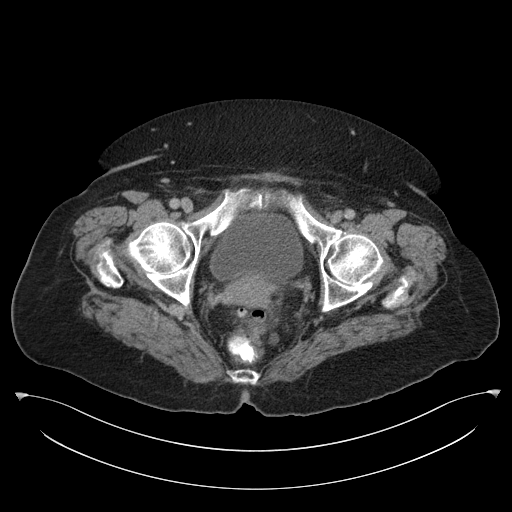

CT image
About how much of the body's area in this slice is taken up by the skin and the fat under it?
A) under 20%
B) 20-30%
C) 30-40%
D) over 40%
D) over 40%
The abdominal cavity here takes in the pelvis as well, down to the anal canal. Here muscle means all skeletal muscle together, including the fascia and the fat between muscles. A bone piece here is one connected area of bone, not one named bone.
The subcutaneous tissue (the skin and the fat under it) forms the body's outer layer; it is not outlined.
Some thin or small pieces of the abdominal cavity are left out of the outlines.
Outlines (x, y in pixels):
abdominal cavity: 271,191 281,193 285,199 285,205 317,263 320,280 317,315 305,324 289,347 274,355 262,368 233,368 206,337 194,313 192,300 195,276 201,260 217,236 236,218 238,207 246,203 249,208 262,209 272,201
muscle 1: 262,171 279,171 301,178 308,194 321,207 400,208 436,226 447,239 451,255 443,261 446,283 421,311 419,327 402,337 331,356 293,381 276,381 265,387 250,387 219,384 216,381 194,383 186,380 171,366 124,344 82,314 82,296 89,289 71,261 71,228 75,220 93,204 117,192 134,189 162,199 172,211 193,213 205,207 225,189 229,175 with holes at 242,187 301,193 318,221 365,235 383,258 370,289 326,312 320,271 317,315 254,370 261,374 255,385 232,381 227,370 235,369 206,337 192,304 187,308 159,289 126,253 148,225 198,219 220,204 226,189 and at 107,240 109,241 108,245 111,249 111,252 113,256 114,264 120,273 121,276 123,278 123,283 122,285 116,288 105,286 99,280 99,274 96,269 96,264 98,261 98,259 96,256 96,250 98,247 99,247 and at 405,273 407,273 408,275 414,280 412,285 408,291 408,296 407,298 404,301 396,306 394,306 390,308 387,308 385,307 382,304 382,300 389,293 393,291 400,284 400,282 399,281 399,277 400,275
muscle 2: 207,232 211,237 216,237 205,255 204,255 200,260 197,266 195,272 195,275 194,276 193,296 191,300 191,296 190,295 190,284 192,280 193,274 195,271 195,268 199,260 199,255 201,250 202,240 203,237
muscle 3: 308,242 311,244 314,244 315,243 316,244 317,244 317,245 319,248 319,256 318,257 318,264 319,265 319,268 319,266 318,265 318,263 317,262 315,257 313,255 313,254 311,252 311,251 308,247 308,245 307,244 307,243
torso: 230,98 330,106 383,127 423,153 443,184 431,198 478,256 493,287 500,317 496,340 479,357 378,399 279,417 246,403 231,414 162,410 26,357 13,335 11,300 50,212 103,172 98,155 126,131 166,112
bones 1: 242,187 262,193 268,190 272,199 262,208 241,203 235,218 223,231 216,236 207,231 204,234 189,284 191,303 188,308 159,289 126,253 128,243 148,225 159,221 177,224 198,219 220,204 226,189 236,191
bones 2: 282,190 293,194 301,193 305,208 318,221 348,233 363,234 374,242 383,258 383,263 381,269 373,278 371,288 363,295 345,305 326,312 321,311 324,284 319,264 320,248 317,243 309,242 300,232 286,205
bones 3: 107,240 109,241 108,245 111,249 111,252 113,256 114,264 120,273 121,276 123,278 123,283 122,285 116,288 105,286 99,280 99,274 96,269 96,264 98,261 98,259 96,256 96,250 98,247 99,247
bones 4: 405,273 407,273 408,275 414,280 412,285 408,291 408,296 407,298 404,301 396,306 394,306 390,308 387,308 385,307 382,304 382,300 389,293 393,291 400,284 400,282 399,281 399,277 400,275
bones 5: 235,369 245,369 246,370 254,370 255,371 257,371 258,372 259,372 261,374 261,375 257,380 257,381 256,382 255,385 252,385 249,383 234,383 232,381 232,380 231,379 230,376 227,373 227,370 234,370